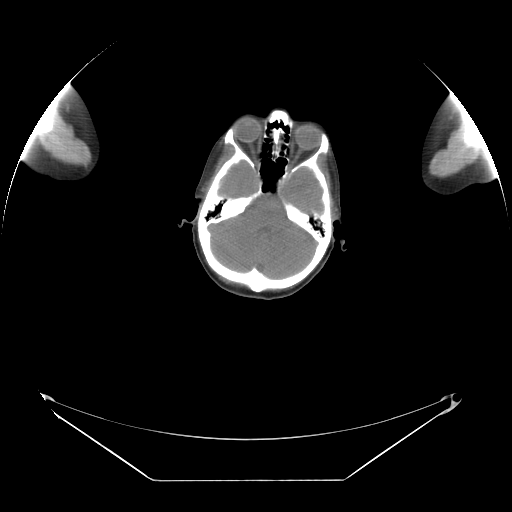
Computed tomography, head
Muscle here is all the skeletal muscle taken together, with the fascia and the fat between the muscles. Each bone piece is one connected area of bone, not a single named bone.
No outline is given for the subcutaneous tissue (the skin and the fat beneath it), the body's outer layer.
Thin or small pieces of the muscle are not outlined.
The muscle appears in 5 outlined pieces: piece 1: (461, 105) (463, 105) (471, 117) (464, 130) (464, 138) (466, 142) (469, 144) (475, 144) (482, 136) (486, 143) (485, 148) (479, 159) (461, 172) (446, 178) (432, 177) (429, 175) (427, 170) (429, 161) (434, 152) (442, 145) (440, 144) (446, 135) (446, 131) (452, 118); piece 2: (52, 100) (57, 107) (57, 109) (65, 115) (69, 120) (69, 122) (75, 133) (81, 139) (85, 141) (89, 146) (92, 154) (92, 161) (87, 167) (64, 164) (51, 158) (42, 149) (37, 130) (39, 131) (47, 131) (51, 128) (52, 126) (51, 115) (46, 108); piece 3: (223, 138) (223, 142) (225, 144) (229, 144) (233, 147) (233, 152) (232, 154) (223, 162) (220, 167) (214, 173) (211, 182) (203, 198) (202, 198) (200, 189) (207, 177) (208, 172) (212, 167) (212, 165) (216, 158) (216, 155) (218, 153) (218, 147) (219, 144); piece 4: (329, 149) (330, 160) (331, 161) (331, 175) (333, 180) (333, 192) (334, 193) (335, 203) (337, 208) (336, 215) (333, 219) (332, 213) (331, 212) (331, 195) (329, 191) (329, 186) (326, 180) (326, 177) (318, 164) (318, 158) (319, 156) (321, 154) (326, 154) (328, 152); piece 5: (216, 274) (221, 276) (223, 278) (229, 281) (231, 281) (235, 283) (239, 283) (240, 284) (245, 285) (249, 289) (247, 289) (243, 287) (238, 287) (237, 286) (234, 286) (233, 285) (231, 285) (230, 284) (225, 283) (223, 281) (219, 279) (219, 278) (216, 275). The bones appear in 3 outlined pieces: piece 1: (275, 109) (284, 110) (293, 120) (289, 136) (287, 125) (275, 121) (268, 126) (285, 131) (293, 164) (318, 149) (322, 132) (328, 138) (327, 152) (318, 156) (317, 164) (330, 195) (332, 235) (322, 258) (305, 278) (286, 288) (258, 292) (208, 265) (198, 240) (197, 215) (215, 173) (234, 152) (234, 147) (224, 142) (230, 127) (239, 147) (253, 160) (260, 158) (264, 190) (283, 172) (286, 160) (279, 157) (272, 161) (270, 139) (263, 138) (266, 117); inner edges: (301, 168) (312, 173) (321, 189) (321, 211) (312, 210) (309, 213) (284, 199) (281, 202) (286, 217) (316, 243) (309, 260) (297, 271) (282, 277) (271, 277) (255, 266) (247, 270) (234, 269) (220, 261) (212, 248) (209, 226) (238, 216) (259, 197) (279, 196) (286, 182), then (242, 161) (245, 162) (253, 172) (253, 175) (255, 180) (255, 186) (256, 187) (255, 190) (247, 195) (240, 195) (234, 197) (233, 196) (229, 196) (228, 195) (225, 195) (219, 193) (219, 190) (221, 187) (221, 181) (222, 179) (228, 173) (229, 170) (234, 165) (236, 165); piece 2: (471, 119) (473, 120) (473, 121) (475, 123) (477, 128) (479, 130) (481, 134) (481, 137) (479, 139) (479, 140) (475, 143) (469, 143) (467, 142) (465, 138) (465, 130) (467, 127) (467, 125) (468, 124) (468, 122) (469, 120); piece 3: (45, 110) (47, 110) (50, 115) (50, 119) (51, 120) (51, 126) (50, 127) (50, 128) (47, 130) (39, 130) (38, 129) (37, 129) (37, 128) (36, 127) (36, 124) (37, 123) (38, 120) (40, 118) (40, 117) (42, 115) (42, 114) (44, 112) (44, 111). The left arm is outlined by (450, 94) (454, 95) (459, 100) (477, 126) (477, 128) (487, 145) (496, 170) (496, 173) (493, 176) (493, 180) (491, 182) (484, 184) (470, 185) (457, 193) (450, 195) (441, 195) (429, 189) (423, 183) (421, 179) (420, 175) (421, 150) (425, 135) (437, 108) (442, 100). The right arm is outlined by (67, 84) (75, 87) (84, 100) (97, 131) (101, 146) (101, 153) (100, 154) (99, 162) (93, 174) (85, 179) (78, 181) (60, 181) (59, 180) (54, 180) (47, 176) (35, 173) (24, 164) (24, 161) (20, 157) (20, 154) (23, 150) (25, 144) (38, 120) (58, 92). The brain appears in 2 outlined pieces: piece 1: (301, 168) (312, 173) (321, 189) (321, 211) (312, 210) (309, 213) (284, 199) (281, 202) (286, 217) (316, 243) (309, 260) (297, 271) (282, 277) (271, 277) (255, 266) (247, 270) (234, 269) (220, 261) (212, 248) (209, 226) (238, 216) (259, 197) (279, 196) (286, 182); piece 2: (242, 161) (245, 162) (253, 172) (253, 175) (255, 180) (255, 186) (256, 187) (255, 190) (247, 195) (240, 195) (234, 197) (233, 196) (229, 196) (228, 195) (225, 195) (219, 193) (219, 190) (221, 187) (221, 181) (222, 179) (228, 173) (229, 170) (234, 165) (236, 165). The head is outlined by (274, 105) (285, 106) (292, 118) (318, 120) (329, 131) (342, 210) (334, 234) (345, 240) (346, 250) (336, 241) (323, 268) (297, 292) (272, 300) (248, 299) (210, 279) (196, 256) (191, 225) (177, 224) (194, 217) (195, 187) (213, 144) (230, 120) (242, 112) (266, 115), around holes outlined by (266, 139) (269, 139) (269, 150) (268, 151) (270, 160) (276, 163) (279, 158) (283, 158) (286, 162) (282, 168) (282, 172) (275, 179) (272, 179) (268, 182) (270, 187) (267, 189) (264, 189) (264, 185) (266, 181) (261, 172) (262, 161) (260, 154) (262, 151) (262, 145) and by (275, 122) (277, 124) (282, 124) (283, 126) (287, 126) (288, 127) (288, 132) (287, 133) (287, 135) (288, 136) (288, 139) (287, 140) (285, 139) (285, 136) (286, 135) (286, 131) (282, 126) (280, 125) (278, 126) (272, 126) (271, 127) (269, 126) (271, 124).